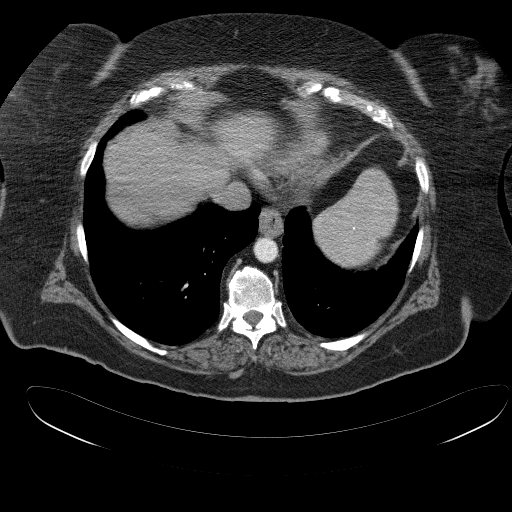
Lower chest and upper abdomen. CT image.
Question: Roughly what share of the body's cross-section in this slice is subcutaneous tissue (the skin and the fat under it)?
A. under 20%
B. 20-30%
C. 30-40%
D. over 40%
Answer: D. over 40%
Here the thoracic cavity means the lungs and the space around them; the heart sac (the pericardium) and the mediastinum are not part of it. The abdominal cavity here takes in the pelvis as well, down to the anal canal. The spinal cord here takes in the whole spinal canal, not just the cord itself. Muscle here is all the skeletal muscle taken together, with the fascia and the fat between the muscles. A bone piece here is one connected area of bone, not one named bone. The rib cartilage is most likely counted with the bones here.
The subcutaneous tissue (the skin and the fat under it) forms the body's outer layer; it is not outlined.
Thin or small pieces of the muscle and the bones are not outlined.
Outlined structures:
pericardium: 318 111; 332 111; 353 117; 361 126; 359 137; 351 143; 329 167; 321 180; 321 186; 309 201; 300 201; 295 204; 279 204; 268 200; 244 177; 242 174; 244 164; 250 161; 272 142; 282 130; 296 122; 297 121; 295 120; 300 120
left arm: 511 154; 511 216; 509 214; 509 212; 508 211; 508 210; 507 209; 507 206; 506 205; 506 201; 505 200; 505 196; 504 195; 504 190; 503 189; 503 159; 504 158; 504 157; 504 161; 505 162; 508 159; 508 158; 509 157; 509 156
bones 1: 245 265; 260 269; 274 283; 273 292; 275 297; 282 303; 282 309; 287 321; 286 327; 278 325; 275 331; 264 334; 254 350; 249 338; 234 332; 230 324; 220 332; 215 327; 223 310; 223 302; 228 296; 226 284; 233 279; 237 268; inner edge: 252 310; 253 310; 254 311; 257 311; 258 312; 261 313; 261 314; 262 315; 261 318; 254 325; 252 325; 251 324; 250 324; 248 322; 247 322; 245 320; 245 319; 244 318; 244 315; 247 312; 248 312; 249 311; 251 311
bones 2: 311 79; 321 82; 324 86; 330 85; 334 86; 377 103; 387 111; 392 120; 394 128; 392 130; 390 130; 381 124; 372 121; 367 115; 352 106; 330 102; 322 96; 319 92; 315 92; 306 95; 299 95; 296 92; 296 88; 304 82
bones 3: 167 77; 179 77; 190 80; 194 82; 197 86; 203 89; 205 93; 197 93; 195 91; 187 90; 168 89; 162 95; 158 97; 154 97; 142 103; 138 107; 130 108; 129 99; 134 92; 142 89; 148 89; 154 85; 161 86
bones 4: 109 315; 112 315; 114 316; 125 326; 126 326; 137 334; 147 339; 153 345; 160 348; 166 349; 168 352; 167 354; 165 355; 160 355; 157 353; 150 351; 148 349; 134 342; 131 339; 123 334; 115 326; 115 325; 110 320; 109 318
bones 5: 361 331; 370 331; 370 332; 359 342; 358 342; 353 346; 347 349; 345 349; 344 350; 328 350; 325 348; 323 348; 319 346; 319 343; 322 341; 331 341; 332 340; 337 340; 338 339; 341 339; 342 338; 346 338; 347 337; 350 337
bones 6: 416 156; 419 156; 423 158; 425 162; 425 164; 427 167; 427 170; 428 171; 428 192; 427 193; 424 193; 421 190; 420 190; 420 187; 418 183; 418 179; 417 178; 416 172; 415 171; 415 166; 414 165; 415 164; 415 157
bones 7: 93 141; 97 141; 98 142; 96 146; 96 149; 95 150; 95 152; 94 153; 93 158; 91 161; 91 163; 86 172; 85 177; 84 178; 82 178; 80 176; 80 166; 81 165; 81 161; 90 143
bones 8: 420 226; 423 226; 424 227; 424 231; 423 232; 423 240; 421 245; 421 249; 412 270; 410 273; 407 275; 407 271; 411 261; 411 258; 412 257; 412 254; 413 253; 413 250; 414 249; 414 246; 415 245; 417 234; 418 233
bones 9: 79 221; 82 223; 82 225; 83 226; 83 230; 84 231; 84 235; 85 236; 85 243; 86 244; 86 247; 87 248; 88 264; 85 262; 80 252; 80 250; 78 246; 78 242; 77 241; 77 237; 76 236; 76 226; 77 225; 77 223
mediastinum 1: 241 169; 243 177; 272 203; 295 205; 308 202; 306 207; 293 207; 283 223; 282 279; 278 295; 270 277; 249 264; 237 267; 227 283; 221 281; 221 273; 228 260; 252 242; 258 232; 260 205; 257 202; 236 211; 210 202
mediastinum 2: 324 100; 333 104; 352 107; 367 116; 372 122; 381 125; 383 129; 380 129; 379 131; 375 131; 361 141; 345 158; 334 167; 322 182; 324 176; 330 167; 348 149; 348 147; 360 137; 362 131; 362 126; 353 116; 332 110; 323 110
spinal cord: 252 310; 253 310; 254 311; 257 311; 258 312; 261 313; 261 314; 262 315; 261 318; 254 325; 252 325; 251 324; 250 324; 248 322; 247 322; 245 320; 245 319; 244 318; 244 315; 247 312; 248 312; 249 311; 251 311
thoracic cavity 1: 136 108; 145 117; 110 138; 101 160; 104 200; 122 224; 153 230; 189 216; 205 203; 232 212; 259 205; 256 235; 220 273; 227 296; 218 320; 181 345; 151 341; 120 321; 100 296; 90 272; 83 225; 85 178; 101 138; 122 114
thoracic cavity 2: 299 206; 305 207; 310 219; 313 242; 322 255; 336 266; 353 272; 377 270; 384 265; 394 255; 416 221; 418 222; 406 275; 395 298; 374 321; 350 336; 329 340; 310 333; 286 316; 282 301; 276 297; 282 292; 284 223; 289 212
abdominal cavity 1: 240 70; 278 78; 299 96; 324 98; 322 110; 295 119; 282 129; 244 163; 209 202; 200 204; 189 215; 153 229; 134 229; 122 223; 105 200; 102 160; 107 142; 125 126; 146 117; 139 107; 142 104; 176 91; 205 94; 222 76
abdominal cavity 2: 384 128; 389 130; 403 144; 409 159; 414 166; 419 187; 417 219; 398 245; 393 255; 377 269; 371 268; 360 271; 344 269; 327 259; 315 244; 312 236; 311 219; 306 208; 314 194; 322 186; 322 183; 335 167; 361 142
torso: 236 11; 328 18; 390 47; 420 33; 469 36; 511 81; 511 148; 497 194; 511 242; 511 295; 490 320; 470 324; 451 358; 338 397; 228 401; 138 382; 9 339; 0 321; 0 107; 16 82; 71 23; 99 24; 126 41; 176 18
muscle: 222 62; 246 62; 270 65; 284 64; 286 66; 297 66; 301 68; 314 67; 319 70; 338 74; 362 86; 367 92; 383 100; 401 121; 409 128; 409 130; 418 139; 425 149; 425 157; 432 174; 432 180; 435 188; 437 207; 436 216; 434 219; 435 223; 433 226; 435 228; 435 233; 437 237; 437 259; 441 276; 439 301; 437 305; 432 308; 424 309; 408 316; 399 324; 382 335; 369 347; 349 362; 332 370; 309 375; 293 375; 278 370; 268 371; 261 364; 254 364; 248 367; 239 377; 236 378; 229 378; 224 374; 215 374; 210 376; 206 374; 196 374; 181 371; 156 363; 130 352; 121 345; 87 312; 75 304; 52 302; 42 303; 40 301; 39 292; 48 273; 53 267; 54 260; 62 245; 64 233; 68 230; 68 218; 70 216; 70 187; 73 183; 76 164; 80 158; 79 153; 82 144; 90 134; 90 129; 97 124; 98 121; 104 115; 104 112; 127 89; 135 86; 142 80; 148 79; 152 75; 165 70; 197 65; 211 65; inner edge: 240 70; 278 78; 294 93; 298 86; 313 79; 377 103; 390 116; 394 125; 390 131; 403 144; 411 162; 414 165; 419 156; 427 167; 428 192; 420 190; 418 196; 417 221; 424 231; 415 264; 393 301; 361 330; 370 332; 347 349; 328 350; 319 346; 327 338; 310 333; 287 317; 287 326; 278 325; 275 331; 264 334; 254 350; 249 338; 234 332; 229 324; 220 332; 214 325; 181 345; 151 341; 167 350; 167 354; 160 355; 134 342; 110 320; 109 315; 113 314; 80 252; 76 226; 84 217; 85 179; 80 176; 81 161; 90 143; 98 142; 130 109; 131 95; 161 86; 167 77; 190 80; 207 90; 222 76